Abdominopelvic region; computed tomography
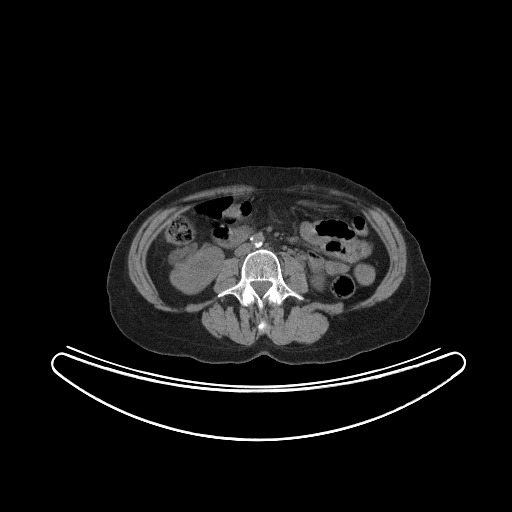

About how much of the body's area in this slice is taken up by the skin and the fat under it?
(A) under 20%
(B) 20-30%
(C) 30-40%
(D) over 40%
(C) 30-40%
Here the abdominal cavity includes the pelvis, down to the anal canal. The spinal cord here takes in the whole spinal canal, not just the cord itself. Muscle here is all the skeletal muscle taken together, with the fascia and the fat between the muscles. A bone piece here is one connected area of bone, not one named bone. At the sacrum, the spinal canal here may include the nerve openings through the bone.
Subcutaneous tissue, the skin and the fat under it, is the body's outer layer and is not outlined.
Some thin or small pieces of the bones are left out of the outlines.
{"torso":[[[248,164],[328,169],[370,188],[391,204],[417,239],[431,276],[430,297],[424,316],[409,336],[330,363],[287,364],[267,355],[243,363],[206,363],[190,357],[149,351],[119,330],[109,311],[106,277],[114,248],[128,224],[141,210],[181,182],[207,171]]],"bones":[{"outer":[[260,248],[270,250],[277,256],[285,283],[292,290],[303,296],[303,300],[294,296],[288,296],[280,305],[266,302],[260,310],[255,303],[246,306],[242,305],[232,294],[225,294],[220,297],[217,295],[239,281],[242,271],[241,265],[244,258],[248,253]],"hole":[[256,281],[267,281],[268,282],[269,282],[271,284],[270,285],[270,286],[267,289],[267,290],[262,295],[259,295],[255,291],[255,290],[253,288],[253,287],[251,285],[251,283],[252,282],[255,282]]}],"muscle":[{"outer":[[240,183],[271,188],[286,188],[298,183],[315,185],[339,190],[366,199],[374,206],[380,208],[392,219],[400,231],[406,246],[406,271],[399,286],[385,300],[370,307],[335,316],[330,321],[327,331],[319,340],[307,346],[297,347],[279,347],[265,335],[260,336],[249,346],[218,340],[206,330],[200,319],[194,313],[175,313],[156,308],[137,290],[128,273],[127,259],[129,249],[140,226],[154,212],[183,197],[203,190]],"holes":[[[258,191],[317,193],[357,207],[389,259],[373,293],[351,304],[288,296],[280,305],[266,302],[261,310],[255,303],[244,306],[232,294],[217,295],[240,279],[241,262],[233,256],[221,262],[210,299],[184,306],[168,304],[146,264],[156,236],[193,205]],[[261,320],[264,320],[265,321],[265,322],[266,323],[266,327],[263,330],[259,330],[258,329],[258,324],[260,322],[260,321]]]},[[286,254],[289,256],[291,256],[295,258],[297,260],[301,262],[304,266],[305,274],[306,275],[306,279],[307,280],[307,292],[304,295],[304,296],[292,289],[286,283],[283,277],[282,269],[280,267],[280,260],[282,259],[283,258],[283,256]]],"abdominal_cavity":[[[258,191],[317,193],[357,207],[381,239],[389,259],[373,293],[351,304],[311,300],[305,296],[304,264],[286,253],[279,259],[272,250],[260,247],[248,252],[241,264],[235,256],[221,262],[210,299],[184,306],[168,304],[146,264],[156,236],[193,205]]],"spinal_cord":[[[256,281],[267,281],[268,282],[269,282],[271,284],[270,285],[270,286],[267,289],[267,290],[262,295],[259,295],[255,291],[255,290],[253,288],[253,287],[251,285],[251,283],[252,282],[255,282]]]}